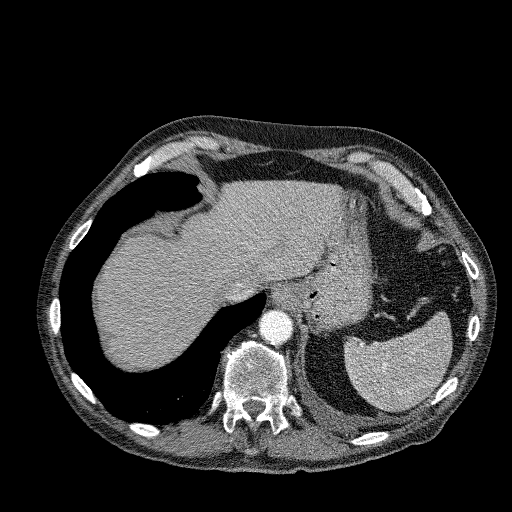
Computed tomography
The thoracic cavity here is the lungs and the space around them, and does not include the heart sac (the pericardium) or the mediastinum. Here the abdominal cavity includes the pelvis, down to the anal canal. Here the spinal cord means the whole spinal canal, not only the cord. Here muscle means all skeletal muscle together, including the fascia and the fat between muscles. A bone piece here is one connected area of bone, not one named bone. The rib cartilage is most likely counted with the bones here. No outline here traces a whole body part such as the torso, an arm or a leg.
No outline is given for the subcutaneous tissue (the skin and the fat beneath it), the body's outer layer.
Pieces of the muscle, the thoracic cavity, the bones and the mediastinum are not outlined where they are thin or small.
{"mediastinum":[[[270,295],[283,302],[291,312],[295,319],[295,323],[297,324],[299,332],[297,355],[295,362],[291,367],[292,372],[288,368],[286,358],[281,352],[254,339],[242,340],[226,355],[225,360],[223,358],[224,350],[228,346],[230,340],[260,316],[266,298]],[[394,190],[399,194],[399,196],[408,206],[412,208],[417,213],[421,214],[424,217],[427,217],[428,220],[439,226],[441,230],[443,231],[446,235],[443,235],[438,232],[430,231],[427,228],[425,222],[414,214],[411,213],[396,200],[394,195]]],"muscle":[{"outer":[[189,130],[211,131],[228,137],[237,138],[240,140],[251,142],[255,144],[292,149],[331,148],[357,144],[372,146],[382,149],[396,156],[416,175],[425,180],[437,196],[442,200],[449,209],[457,221],[459,229],[468,239],[474,253],[481,262],[482,267],[485,272],[485,282],[487,290],[487,309],[485,325],[482,335],[482,343],[479,349],[479,353],[477,355],[477,359],[474,362],[474,366],[463,390],[453,401],[451,405],[437,419],[431,421],[427,425],[423,426],[411,433],[408,433],[399,438],[394,439],[388,443],[338,458],[330,458],[324,460],[285,459],[271,457],[265,453],[260,453],[253,456],[246,456],[242,452],[238,452],[235,450],[230,452],[222,452],[219,455],[215,455],[211,457],[188,457],[154,450],[141,445],[104,422],[100,421],[99,419],[79,405],[73,395],[62,381],[61,377],[57,371],[52,358],[49,338],[47,334],[47,329],[45,326],[46,318],[44,309],[48,303],[49,284],[57,262],[57,258],[67,236],[85,210],[96,196],[132,158],[143,149],[159,143],[164,138]],"hole":[[194,135],[219,142],[218,152],[228,152],[228,147],[247,153],[293,152],[318,162],[350,164],[346,156],[361,150],[390,162],[405,175],[430,203],[427,219],[478,267],[478,278],[469,280],[471,314],[477,314],[479,330],[475,340],[465,340],[449,374],[458,378],[456,388],[413,418],[386,427],[385,439],[363,445],[349,442],[360,432],[330,429],[303,407],[295,417],[285,406],[289,426],[275,435],[267,420],[251,427],[239,419],[230,433],[222,423],[223,402],[211,414],[206,409],[158,425],[159,434],[147,437],[130,429],[130,421],[100,401],[94,404],[84,397],[71,380],[73,370],[62,335],[54,334],[49,318],[71,252],[70,239],[131,181],[137,163],[166,144]]}],"spinal_cord":[[[249,400],[255,400],[256,401],[260,401],[261,402],[262,402],[264,404],[264,407],[263,408],[263,410],[262,411],[261,411],[255,416],[252,416],[249,413],[248,413],[247,412],[247,411],[244,408],[244,407],[243,406],[243,404],[245,402],[246,402]]],"bones":[{"outer":[[246,340],[260,342],[284,356],[289,370],[289,392],[302,407],[299,417],[290,414],[286,406],[282,409],[289,426],[275,435],[267,420],[251,427],[239,419],[233,430],[227,432],[222,423],[223,402],[211,414],[208,413],[215,392],[222,387],[227,355]],"hole":[[249,400],[255,400],[256,401],[260,401],[261,402],[262,402],[264,404],[264,407],[263,408],[263,410],[262,411],[261,411],[255,416],[252,416],[249,413],[248,413],[247,412],[247,411],[244,408],[244,407],[243,406],[243,404],[245,402],[246,402]]},[[357,150],[369,152],[374,154],[377,159],[387,161],[393,164],[426,196],[432,207],[432,213],[429,216],[424,216],[421,213],[417,212],[404,201],[400,196],[400,194],[383,177],[376,174],[371,169],[367,167],[348,162],[346,160],[346,156],[351,152]],[[194,135],[207,136],[213,138],[219,142],[220,144],[220,147],[217,150],[198,148],[195,152],[174,157],[163,163],[160,167],[154,171],[150,171],[131,181],[133,177],[132,171],[134,166],[137,163],[139,163],[146,156],[166,144],[174,141],[183,140]],[[378,430],[386,430],[389,432],[389,435],[385,439],[383,440],[381,440],[380,441],[378,441],[374,443],[369,443],[368,444],[364,444],[363,445],[355,445],[349,442],[349,440],[350,439],[352,439],[364,433],[370,432],[371,431],[377,431]],[[453,376],[456,376],[458,378],[458,383],[457,384],[456,388],[453,391],[452,391],[449,394],[445,396],[435,404],[433,405],[428,405],[430,401],[434,397],[434,395],[436,391],[442,385],[442,384],[444,382],[445,382],[448,379],[448,378],[452,377]],[[54,297],[58,297],[59,298],[59,306],[60,307],[60,332],[59,333],[59,334],[58,334],[57,335],[55,335],[52,330],[52,328],[51,327],[51,324],[50,323],[50,319],[49,318],[49,307],[50,306],[50,303],[51,302],[52,299]],[[72,371],[75,372],[90,388],[90,389],[92,391],[94,395],[97,398],[99,402],[98,403],[95,403],[94,404],[90,402],[85,397],[84,397],[75,387],[70,377],[70,373]],[[131,422],[140,422],[141,423],[145,423],[146,424],[150,424],[151,425],[156,426],[160,430],[160,432],[159,434],[155,436],[153,436],[152,437],[147,437],[146,436],[141,435],[138,433],[136,433],[134,432],[131,429],[130,429],[129,427],[129,424]],[[90,217],[93,217],[93,221],[89,229],[87,231],[85,235],[82,238],[82,239],[77,244],[77,245],[71,251],[70,251],[68,247],[69,246],[69,242],[70,241],[70,239],[72,235],[75,232],[75,231],[85,221],[86,221],[88,219],[88,218]],[[462,250],[464,250],[468,254],[468,255],[476,263],[476,264],[478,267],[478,278],[477,279],[471,279],[470,278],[470,277],[468,275],[468,274],[467,273],[467,271],[466,270],[466,268],[465,267],[465,266],[462,261],[462,254],[461,253],[461,251]],[[474,314],[477,314],[477,315],[479,318],[479,330],[478,331],[478,333],[477,334],[477,336],[476,337],[475,340],[474,340],[472,342],[470,342],[466,336],[466,333],[467,332],[467,329],[468,328],[468,323],[469,322],[470,317],[472,315],[473,315]]],"abdominal_cavity":[[[200,151],[293,152],[367,168],[430,232],[456,242],[471,315],[463,351],[429,399],[405,415],[371,421],[324,408],[296,362],[296,319],[263,292],[222,307],[158,369],[126,372],[106,359],[92,312],[94,279],[128,228],[201,199],[195,175],[164,169]]],"thoracic_cavity":[[[157,169],[195,176],[200,199],[181,209],[156,209],[128,227],[99,268],[90,305],[105,359],[126,373],[158,370],[181,356],[222,308],[266,296],[259,316],[223,350],[221,387],[209,407],[157,426],[111,413],[72,369],[59,297],[66,261],[104,203]],[[295,363],[299,366],[301,379],[309,393],[324,409],[342,418],[357,418],[371,422],[380,418],[405,416],[430,400],[427,406],[413,418],[384,429],[363,433],[346,433],[336,429],[330,429],[318,423],[291,392],[289,379],[290,372],[293,372],[292,367]]]}